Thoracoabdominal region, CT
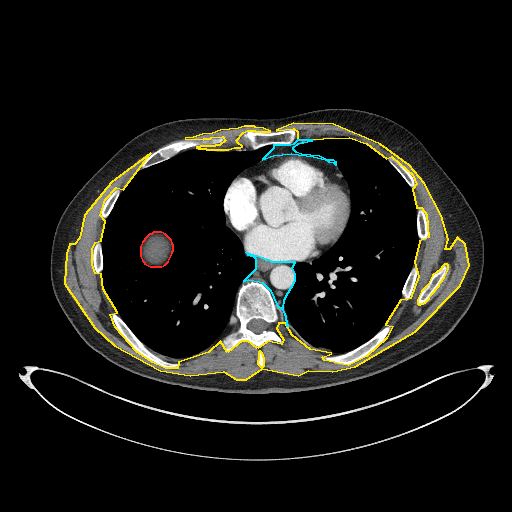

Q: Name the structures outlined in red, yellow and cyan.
A: red: abdominal cavity; yellow: muscle; cyan: mediastinum.
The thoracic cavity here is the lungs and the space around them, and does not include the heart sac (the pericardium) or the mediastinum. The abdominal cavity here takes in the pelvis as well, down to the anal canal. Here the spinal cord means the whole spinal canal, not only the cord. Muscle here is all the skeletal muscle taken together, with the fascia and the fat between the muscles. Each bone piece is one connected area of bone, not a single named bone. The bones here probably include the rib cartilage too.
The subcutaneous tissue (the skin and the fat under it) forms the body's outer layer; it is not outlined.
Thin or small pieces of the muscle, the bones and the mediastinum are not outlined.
Outlines (x, y in pixels):
abdominal cavity: 150,266 161,266 165,264 168,261 172,253 172,251 173,250 173,245 172,244 172,242 171,240 165,234 161,232 153,232 151,234 149,234 144,239 144,240 142,242 140,246 140,256 142,260 144,262 144,263
muscle 1: 236,379 246,379 262,368 298,375 308,370 332,371 355,366 415,331 460,285 469,265 465,244 457,237 449,249 445,249 448,239 441,215 424,183 409,165 380,144 333,124 293,123 276,130 293,128 297,131 297,139 349,137 366,143 386,158 391,156 412,174 416,184 412,189 416,207 421,207 426,214 428,237 419,241 414,262 418,276 410,298 400,300 385,324 392,326 386,338 366,356 348,365 324,360 322,357 331,353 310,349 292,335 285,323 278,323 276,328 283,339 281,344 268,341 257,348 248,341 241,341 227,352 220,341 208,352 178,362 177,368 165,368 152,362 136,351 115,327 110,314 117,312 103,289 101,274 95,273 92,264 92,249 95,242 101,240 105,221 100,215 105,199 116,187 123,189 150,153 111,182 84,215 79,238 74,244 69,244 66,253 64,283 94,327 114,345 160,370 190,375 223,371; inner edges: 418,304 420,304 421,303 423,303 425,302 429,298 431,294 439,285 440,282 444,277 448,269 448,265 447,264 444,264 438,271 437,271 432,275 427,285 421,291 417,299 417,303, then 261,367 262,367 264,365 264,358 263,357 263,355 262,354 262,353 260,351 259,351 258,352 258,360 257,361 257,363
muscle 2: 206,149 228,149 234,147 240,147 242,146 238,143 236,140 243,132 247,130 254,130 255,131 270,131 263,128 255,127 254,126 244,126 238,128 220,130 212,133 202,134 193,137 185,138 203,139 204,138 210,138 211,137 222,136 225,140 219,145 215,145 214,146 200,146 199,147 196,147 198,148 205,148
mediastinum 1: 287,326 286,316 283,309 284,299 295,280 295,274 292,267 295,262 272,262 269,260 266,260 263,258 261,258 257,256 254,256 253,255 251,255 250,254 248,254 246,252 247,254 249,254 250,255 251,255 252,255 253,256 255,258 255,269 243,281 248,279 259,281 262,282 270,290 276,304 282,309 284,313
mediastinum 2: 335,164 336,164 336,162 333,160 332,160 327,160 319,156 301,154 296,152 293,149 293,147 298,143 312,140 297,140 293,144 290,145 273,145 273,148 262,159 273,155 291,153 313,156 325,159 328,161 333,162
spinal cord: 255,333 259,333 260,332 261,332 263,330 264,330 265,329 266,329 267,328 267,324 263,320 262,320 261,319 253,319 252,320 251,320 248,323 248,328 249,329 250,329 253,332 254,332
torso: 242,394 307,391 377,374 441,341 469,309 484,263 478,219 424,145 395,121 364,110 325,108 281,118 186,118 166,122 145,130 122,146 63,211 52,241 50,279 56,300 80,337 108,361 137,375 188,388
thoracic cavity 1: 170,361 189,359 208,351 229,327 236,292 242,280 253,271 254,258 245,253 239,238 225,225 223,198 235,176 257,163 272,145 256,150 193,148 180,152 137,172 106,219 101,241 104,289 118,314 138,338 with a hole at 150,266 161,266 165,264 168,261 172,253 172,251 173,250 173,245 172,244 172,242 171,240 165,234 161,232 153,232 151,234 149,234 144,239 144,240 142,242 140,246 140,256 142,260 144,262 144,263
thoracic cavity 2: 332,353 355,348 384,325 401,298 418,247 411,189 381,154 362,142 343,137 317,139 294,147 298,152 337,162 350,191 351,211 344,231 330,248 311,264 294,264 296,280 284,308 288,327 296,338 312,349
pericardium: 272,261 310,261 330,247 343,231 350,211 349,191 342,174 337,166 333,163 313,157 283,154 280,156 269,157 258,162 257,164 236,176 232,181 224,198 224,211 226,215 226,222 240,238 244,248 248,253
bones 1: 227,351 231,350 241,340 248,340 257,347 268,340 274,340 279,343 282,342 275,328 278,322 284,323 283,313 275,304 269,290 262,283 252,280 242,282 237,292 235,310 228,323 230,330 221,339 221,343; inner edge: 255,333 259,333 260,332 261,332 263,330 264,330 265,329 266,329 267,328 267,324 263,320 262,320 261,319 253,319 252,320 251,320 248,323 248,328 249,329 250,329 253,332 254,332
bones 2: 140,169 148,167 153,164 163,161 178,153 180,151 200,145 214,145 215,144 219,144 221,143 224,139 222,137 204,139 203,140 181,139 171,142 164,146 160,147 151,153 141,164 139,168
bones 3: 252,149 256,149 259,147 261,147 267,144 290,144 291,143 293,143 297,138 296,131 293,129 286,129 281,131 271,131 270,132 255,132 254,131 247,131 243,133 237,140 237,141 244,147 249,147
bones 4: 340,364 348,364 351,363 366,355 375,348 385,338 389,332 391,326 390,325 385,325 369,340 353,350 351,350 346,353 343,353 342,354 333,354 332,355 324,356 323,357 324,359 328,361 331,361
bones 5: 165,367 177,367 179,365 179,363 177,362 170,362 169,361 167,361 163,356 161,356 152,352 137,338 123,320 116,313 113,312 111,314 112,319 116,327 123,337 136,350 144,356 150,359 152,361
bones 6: 418,304 420,304 421,303 423,303 425,302 429,298 431,294 439,285 440,282 444,277 448,269 448,265 447,264 444,264 438,271 437,271 432,275 427,285 421,291 417,299 417,303
bones 7: 403,300 407,300 409,298 411,294 411,292 413,289 413,287 415,283 415,280 417,276 417,267 415,266 413,266 412,267 406,279 406,281 403,286 403,288 402,289 402,299
bones 8: 419,240 425,240 426,239 426,238 427,237 427,222 426,221 426,218 425,217 425,214 424,213 424,212 423,211 423,210 421,208 419,208 418,209 417,209 417,231 418,232 418,237 419,238
bones 9: 103,219 105,219 108,216 109,213 111,211 111,210 112,209 112,208 120,193 120,190 119,189 119,188 116,188 109,195 109,196 106,199 106,200 102,207 102,210 101,211 101,215 102,216 102,218
bones 10: 411,188 412,188 415,186 415,184 414,183 414,181 413,180 413,178 412,177 411,174 401,164 400,164 399,163 396,162 391,157 388,157 387,158 388,161 396,169 396,170 401,175 401,176 405,180 405,181
bones 11: 97,274 100,274 101,273 101,271 103,268 103,260 102,259 102,252 101,251 101,244 100,243 100,242 96,242 96,243 94,246 94,248 93,249 93,264 94,265 94,268 95,269 95,271